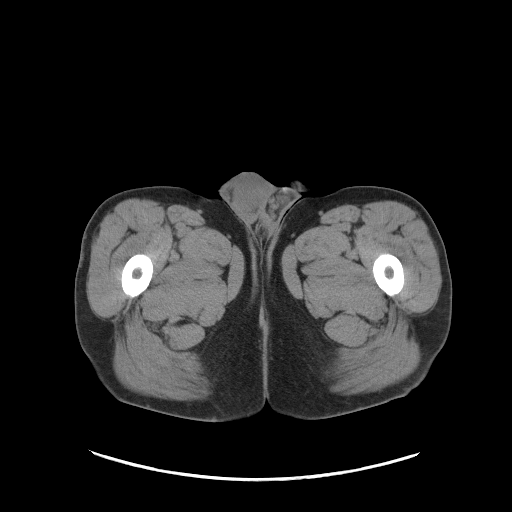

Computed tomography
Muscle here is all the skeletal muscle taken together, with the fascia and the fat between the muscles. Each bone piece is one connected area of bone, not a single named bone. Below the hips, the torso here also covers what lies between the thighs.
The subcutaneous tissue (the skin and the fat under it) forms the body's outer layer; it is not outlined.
The right leg is outlined by [[154,185],[179,186],[205,196],[218,197],[244,225],[256,251],[260,270],[260,286],[255,305],[247,318],[235,345],[219,422],[197,421],[175,417],[117,400],[98,380],[78,341],[74,321],[74,279],[85,226],[98,205],[109,196],[130,188]]. The torso is outlined by [[242,171],[254,171],[276,186],[296,178],[311,185],[291,204],[284,217],[270,245],[268,265],[296,316],[325,398],[336,410],[348,414],[294,419],[274,412],[266,403],[252,417],[220,422],[236,345],[261,286],[255,244],[242,221],[218,196],[219,187]]. The bones appear in 2 outlined pieces: piece 1: [[137,253],[143,253],[147,255],[151,259],[151,261],[153,264],[153,272],[152,273],[152,277],[150,280],[150,282],[146,289],[139,295],[134,297],[130,297],[127,295],[122,289],[121,286],[121,280],[120,279],[121,278],[121,271],[126,261],[131,256]]; piece 2: [[381,253],[390,253],[396,256],[401,262],[402,266],[403,267],[403,272],[404,273],[404,283],[403,284],[403,287],[397,294],[395,294],[392,296],[389,296],[387,295],[378,286],[373,276],[373,273],[372,272],[372,266],[373,265],[373,262],[375,258]]. The left leg is outlined by [[353,185],[376,185],[397,189],[411,195],[426,208],[441,235],[446,249],[452,281],[452,315],[448,337],[427,376],[417,387],[403,397],[363,410],[346,413],[336,409],[324,394],[297,316],[270,269],[269,252],[292,204],[303,197],[323,195],[339,188]]. The muscle appears in 2 outlined pieces: piece 1: [[134,197],[177,201],[193,208],[243,254],[244,277],[241,288],[237,296],[226,306],[201,354],[207,376],[214,384],[214,393],[206,400],[161,399],[141,395],[122,386],[112,368],[112,327],[98,318],[90,308],[86,280],[92,230],[108,209],[122,200]] with a hole at [[137,253],[143,253],[147,255],[151,259],[151,261],[153,264],[153,272],[152,273],[152,277],[150,280],[150,282],[146,289],[139,295],[134,297],[130,297],[127,295],[122,289],[121,286],[121,280],[120,279],[121,278],[121,271],[126,261],[131,256]]; piece 2: [[379,200],[395,200],[418,212],[438,253],[441,288],[433,309],[414,322],[422,353],[415,370],[380,391],[339,395],[330,392],[322,380],[331,354],[330,342],[311,325],[288,291],[282,277],[281,255],[292,239],[316,224],[327,210],[347,203],[361,205]] with a hole at [[381,253],[390,253],[396,256],[401,262],[402,266],[403,267],[403,272],[404,273],[404,283],[403,284],[403,287],[397,294],[395,294],[392,296],[389,296],[387,295],[378,286],[373,276],[373,273],[372,272],[372,266],[373,265],[373,262],[375,258]].